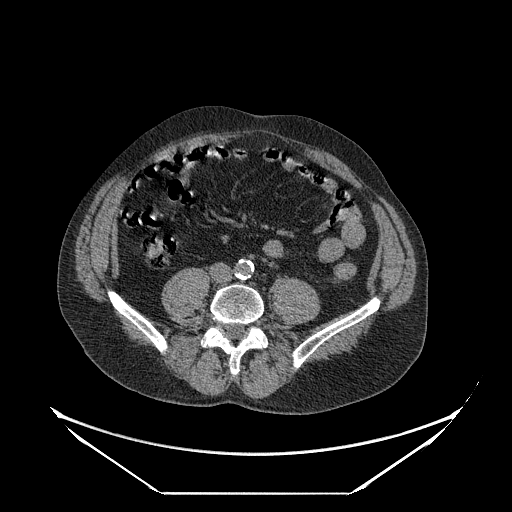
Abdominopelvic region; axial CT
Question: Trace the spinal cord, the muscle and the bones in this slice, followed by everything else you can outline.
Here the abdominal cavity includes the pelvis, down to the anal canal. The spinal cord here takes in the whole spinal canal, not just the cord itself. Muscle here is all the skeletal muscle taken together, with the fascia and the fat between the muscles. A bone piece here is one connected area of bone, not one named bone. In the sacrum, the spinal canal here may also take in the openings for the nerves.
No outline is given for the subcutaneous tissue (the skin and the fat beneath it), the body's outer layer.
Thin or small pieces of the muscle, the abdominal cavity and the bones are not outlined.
Answer: {"spinal_cord":[[[234,324],[238,324],[239,325],[242,325],[243,326],[244,326],[244,327],[245,328],[245,330],[246,331],[245,334],[241,338],[241,339],[240,339],[237,341],[233,341],[232,340],[231,340],[225,335],[225,330],[227,328],[227,326],[228,325],[233,325]]],"muscle":[{"outer":[[245,129],[248,130],[263,129],[264,130],[269,130],[273,132],[275,131],[280,134],[303,141],[312,146],[315,146],[326,151],[328,151],[343,161],[361,178],[380,193],[394,207],[405,226],[405,228],[412,244],[412,247],[414,251],[414,257],[416,261],[416,274],[415,275],[414,287],[413,288],[413,292],[409,300],[397,309],[393,310],[374,323],[370,327],[368,331],[363,335],[351,352],[335,358],[331,358],[327,360],[321,360],[317,362],[299,373],[291,381],[285,384],[270,395],[262,398],[252,398],[243,393],[239,388],[235,385],[231,385],[223,393],[221,393],[218,395],[205,395],[197,391],[187,383],[173,376],[160,364],[160,362],[158,360],[158,354],[151,347],[146,345],[138,345],[128,339],[126,335],[123,333],[118,323],[116,321],[116,319],[102,305],[93,298],[90,297],[80,286],[80,284],[78,282],[76,277],[76,270],[75,269],[75,239],[77,236],[81,222],[96,193],[108,180],[150,152],[168,142],[174,141],[198,132],[221,132],[222,131],[235,131],[236,130],[244,130]],"hole":[[247,135],[282,140],[359,189],[378,230],[366,286],[369,298],[376,295],[381,303],[294,370],[291,353],[300,343],[356,309],[292,331],[318,315],[321,301],[306,281],[279,277],[257,320],[268,344],[247,350],[233,375],[229,354],[200,344],[214,324],[210,278],[201,267],[180,269],[162,286],[160,301],[174,323],[146,318],[165,338],[164,354],[114,308],[106,291],[125,299],[115,285],[117,211],[136,174],[189,141]]}],"bones":[{"outer":[[232,283],[244,284],[259,292],[264,302],[264,312],[257,320],[257,325],[264,331],[268,340],[265,348],[249,349],[241,356],[240,370],[237,375],[230,372],[229,354],[218,346],[202,347],[200,344],[204,332],[214,324],[209,310],[214,293],[218,288]],"hole":[[234,324],[238,324],[239,325],[242,325],[243,326],[244,326],[244,327],[245,328],[245,330],[246,331],[245,334],[241,338],[241,339],[240,339],[237,341],[233,341],[232,340],[231,340],[225,335],[225,330],[227,328],[227,326],[228,325],[233,325]]},[[375,295],[378,296],[381,300],[380,306],[376,311],[357,323],[334,334],[330,338],[321,344],[313,353],[303,362],[298,369],[296,370],[293,369],[292,367],[291,353],[300,343],[311,334],[313,334],[321,330],[326,326],[350,314],[353,311],[366,303]],[[108,288],[110,288],[114,290],[127,303],[150,321],[151,323],[163,335],[168,345],[168,349],[164,354],[160,353],[152,342],[139,329],[138,329],[138,328],[133,323],[132,323],[123,315],[119,313],[118,311],[114,308],[110,302],[106,292]]],"torso":[[[199,105],[310,117],[356,142],[381,170],[418,227],[428,262],[423,348],[409,370],[390,388],[337,409],[308,415],[260,412],[231,403],[188,406],[129,390],[105,375],[86,356],[64,320],[57,299],[58,256],[67,225],[93,181],[126,145],[165,117]]],"abdominal_cavity":[[[247,135],[282,140],[359,189],[378,230],[369,299],[292,331],[321,309],[306,281],[277,278],[265,308],[260,292],[240,282],[218,287],[209,303],[208,274],[190,266],[174,273],[160,292],[174,323],[146,317],[115,285],[117,211],[126,187],[172,147]]]}